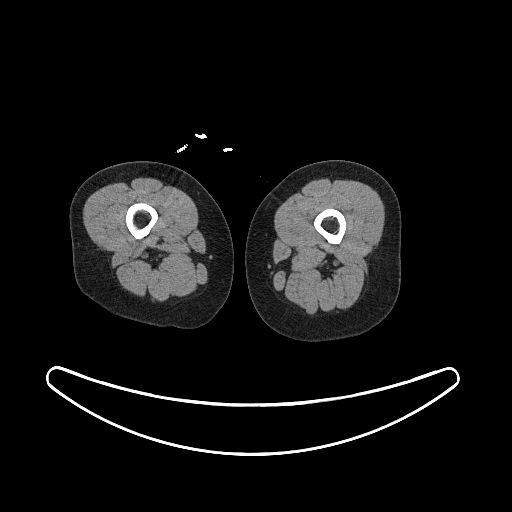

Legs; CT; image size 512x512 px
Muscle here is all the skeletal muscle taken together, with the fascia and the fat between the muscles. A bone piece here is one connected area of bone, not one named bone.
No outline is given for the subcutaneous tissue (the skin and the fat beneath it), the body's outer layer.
Outlined structures:
left leg: [[333,159],[349,160],[370,167],[385,178],[393,188],[400,205],[402,221],[400,289],[397,300],[389,314],[380,323],[365,333],[339,340],[304,342],[288,338],[274,331],[263,321],[256,311],[246,280],[245,244],[249,225],[258,205],[286,175],[304,165]]
bones 1: [[139,202],[144,202],[145,203],[147,203],[153,207],[156,210],[158,214],[158,218],[156,222],[151,228],[149,233],[144,237],[140,239],[137,239],[132,235],[127,228],[127,226],[125,222],[125,215],[126,214],[126,211],[129,206],[134,203],[138,203]]
bones 2: [[326,208],[334,208],[340,211],[343,214],[346,220],[346,230],[345,231],[345,233],[341,241],[338,244],[332,244],[331,243],[329,243],[327,241],[327,240],[320,233],[319,233],[314,227],[314,225],[313,224],[313,221],[315,217],[321,211],[322,211]]
right leg: [[137,160],[169,164],[193,176],[215,200],[229,227],[234,257],[231,288],[226,301],[219,311],[210,321],[200,327],[194,329],[164,328],[119,317],[106,311],[84,295],[76,283],[69,228],[69,209],[72,198],[79,186],[95,172],[114,164]]
muscle 1: [[323,177],[344,177],[363,182],[372,187],[379,194],[384,204],[385,221],[380,242],[369,255],[367,281],[358,301],[347,312],[320,320],[296,313],[288,308],[274,294],[268,284],[268,277],[273,242],[273,218],[277,207],[288,196],[299,191],[309,181]]; inner edge: [[326,208],[334,208],[340,211],[343,214],[346,220],[346,230],[345,231],[345,233],[341,241],[338,244],[332,244],[331,243],[329,243],[327,241],[327,240],[320,233],[319,233],[314,227],[314,225],[313,224],[313,221],[315,217],[321,211],[322,211]]
muscle 2: [[130,177],[153,177],[163,180],[184,191],[194,201],[206,242],[207,255],[207,286],[200,293],[172,303],[165,302],[161,304],[153,304],[139,299],[130,294],[120,285],[106,259],[106,256],[97,248],[88,236],[82,221],[82,208],[87,197],[102,186]], around a hole outlined by [[139,202],[144,202],[145,203],[147,203],[153,207],[156,210],[158,214],[158,218],[156,222],[151,228],[149,233],[144,237],[140,239],[137,239],[132,235],[127,228],[127,226],[125,222],[125,215],[126,214],[126,211],[129,206],[134,203],[138,203]]